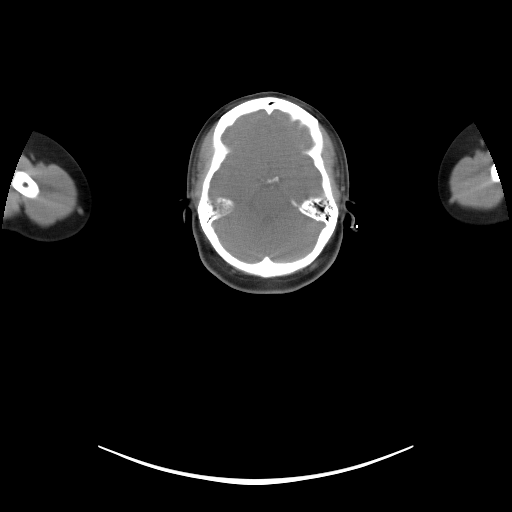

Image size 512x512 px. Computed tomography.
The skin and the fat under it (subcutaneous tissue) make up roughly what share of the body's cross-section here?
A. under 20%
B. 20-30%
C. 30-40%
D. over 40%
B. 20-30%
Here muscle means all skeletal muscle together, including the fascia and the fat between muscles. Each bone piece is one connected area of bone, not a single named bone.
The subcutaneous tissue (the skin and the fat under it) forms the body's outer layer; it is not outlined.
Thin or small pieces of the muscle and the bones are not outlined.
{"head":[[[267,90],[309,103],[338,133],[347,158],[349,195],[355,201],[346,206],[358,229],[350,228],[348,214],[331,266],[311,283],[287,293],[249,293],[228,286],[203,265],[190,210],[180,225],[186,201],[179,199],[185,195],[189,155],[199,130],[225,103]]],"brain":[[[260,110],[268,115],[277,110],[307,128],[311,145],[303,153],[320,175],[321,195],[300,203],[290,200],[301,214],[323,223],[312,247],[291,260],[241,259],[213,226],[234,205],[225,196],[214,205],[209,195],[214,174],[231,150],[222,136],[240,117]]],"right_arm":[[[34,130],[38,130],[56,140],[74,157],[85,174],[93,194],[93,208],[89,220],[85,226],[77,234],[61,241],[55,242],[35,241],[23,237],[15,232],[3,230],[2,228],[4,211],[6,208],[8,192],[11,185],[11,181],[21,154]]],"left_arm":[[[470,122],[474,123],[479,131],[479,133],[489,151],[489,154],[497,171],[507,210],[508,220],[505,222],[501,222],[493,225],[481,226],[480,227],[464,225],[453,219],[445,211],[440,203],[436,188],[437,173],[440,162],[449,144],[455,136]]],"bones":[{"outer":[[263,96],[275,96],[287,99],[317,118],[323,138],[321,155],[338,208],[336,226],[319,255],[303,268],[273,277],[249,274],[226,262],[215,251],[203,232],[196,209],[201,195],[202,183],[213,153],[212,136],[218,119],[222,114],[239,103]],"hole":[[260,110],[268,115],[277,110],[307,128],[311,145],[303,153],[320,175],[321,195],[300,203],[290,200],[301,214],[323,223],[312,247],[291,260],[241,259],[213,226],[234,205],[225,196],[214,205],[209,195],[214,174],[231,150],[222,136],[240,117]]},[[16,168],[17,168],[19,170],[26,172],[36,182],[36,183],[38,185],[38,187],[39,188],[39,193],[35,198],[29,198],[28,197],[26,197],[24,195],[21,194],[13,187],[12,187],[11,185],[11,181],[12,180],[12,178],[13,177],[13,175]],[[493,164],[494,164],[494,165],[495,166],[495,168],[497,171],[497,173],[498,174],[498,176],[499,177],[499,180],[500,181],[500,183],[499,183],[498,182],[494,182],[491,180],[491,178],[490,177],[490,169],[491,168],[491,166]]],"muscle":[[[30,152],[46,163],[52,162],[62,167],[74,180],[78,191],[76,211],[48,227],[41,227],[25,217],[16,216],[8,218],[6,215],[6,203],[12,188],[29,199],[35,199],[40,193],[37,182],[26,171],[17,167],[20,159],[23,156],[28,156]],[[476,148],[483,150],[491,157],[493,163],[490,166],[489,169],[490,180],[494,183],[498,183],[501,185],[501,200],[500,203],[496,207],[488,210],[465,208],[456,204],[452,194],[449,191],[448,186],[449,176],[454,165],[460,158],[465,155],[471,154]],[[320,122],[325,127],[335,141],[337,146],[337,152],[339,156],[339,161],[342,166],[344,189],[343,190],[343,195],[340,202],[341,207],[339,211],[339,214],[339,208],[333,194],[331,179],[326,169],[325,162],[322,155],[324,149],[324,138],[320,127]],[[201,229],[211,247],[226,263],[230,266],[244,272],[246,274],[256,275],[266,278],[280,277],[284,275],[287,275],[292,272],[296,272],[307,267],[320,255],[332,236],[335,229],[335,231],[331,241],[323,252],[323,254],[325,255],[324,261],[318,267],[310,272],[296,275],[294,277],[283,281],[251,281],[242,279],[235,276],[232,273],[224,270],[217,262],[214,261],[210,257],[209,249],[205,243],[205,240]],[[216,121],[211,136],[212,153],[210,157],[209,165],[201,183],[200,195],[196,205],[196,208],[194,205],[194,201],[191,194],[191,190],[192,189],[192,174],[193,173],[193,168],[194,167],[194,161],[196,156],[196,152],[202,137],[210,128],[213,123]]]}